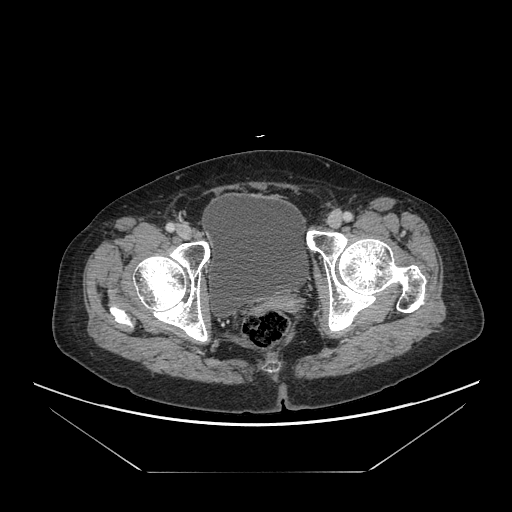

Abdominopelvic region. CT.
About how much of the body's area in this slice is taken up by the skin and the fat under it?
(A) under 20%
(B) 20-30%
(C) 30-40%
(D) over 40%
(C) 30-40%
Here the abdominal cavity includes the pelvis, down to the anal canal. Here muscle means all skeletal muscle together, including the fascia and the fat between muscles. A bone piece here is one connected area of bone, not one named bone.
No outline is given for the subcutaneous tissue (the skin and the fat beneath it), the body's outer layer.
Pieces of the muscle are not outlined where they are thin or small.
The abdominal cavity is outlined by 232 192; 308 194; 316 197; 319 203; 318 210; 309 223; 304 237; 314 281; 313 306; 309 311; 297 312; 293 317; 289 333; 270 348; 258 348; 229 328; 217 329; 211 320; 207 274; 212 255; 211 245; 191 209; 193 202; 202 197. The bones appear in 4 outlined pieces: piece 1: 309 228; 341 232; 350 243; 363 238; 386 243; 398 265; 415 264; 426 277; 424 303; 408 313; 398 311; 395 303; 400 286; 391 285; 376 293; 373 303; 360 310; 349 326; 330 331; 329 291; 323 258; 318 252; 309 249; 306 243; piece 2: 203 239; 210 245; 209 259; 202 268; 202 279; 200 282; 200 308; 202 318; 210 338; 208 342; 196 340; 187 335; 177 326; 166 323; 155 317; 152 311; 137 297; 133 285; 134 269; 143 259; 156 254; 166 256; 178 245; 184 242; piece 3: 110 306; 116 306; 117 307; 122 308; 131 317; 131 318; 133 319; 133 322; 134 323; 134 326; 133 328; 131 328; 123 324; 121 325; 117 322; 116 322; 114 319; 114 317; 110 313; 109 311; 109 309; 108 308; piece 4: 272 360; 276 360; 279 363; 279 370; 278 371; 275 371; 274 372; 267 372; 265 370; 264 370; 263 369; 262 369; 262 367; 263 367; 264 366; 264 365; 268 361; 271 361. The muscle is outlined by 264 180; 303 185; 326 195; 340 204; 350 207; 360 206; 375 198; 387 196; 402 201; 421 216; 429 227; 431 236; 440 252; 444 267; 441 295; 446 307; 446 318; 437 328; 410 350; 387 361; 349 374; 304 379; 297 378; 295 376; 295 363; 303 356; 317 353; 321 348; 321 338; 318 329; 312 322; 305 321; 298 327; 293 338; 282 352; 283 369; 279 381; 275 382; 271 380; 266 373; 261 372; 258 373; 249 383; 232 385; 194 381; 155 372; 136 362; 99 347; 93 341; 87 334; 86 330; 88 316; 83 301; 82 274; 88 256; 109 235; 118 218; 123 216; 133 216; 162 223; 173 216; 189 199; 204 190; 225 184, around holes outlined by 232 192; 316 197; 308 229; 386 243; 398 265; 426 277; 424 303; 398 311; 391 285; 330 331; 323 258; 306 243; 313 306; 278 344; 258 348; 213 326; 211 250; 200 282; 210 340; 158 319; 136 295; 135 267; 207 241; 193 202 and by 224 342; 226 342; 227 343; 233 343; 239 348; 243 350; 254 352; 260 355; 260 359; 258 361; 252 361; 247 358; 243 358; 242 357; 236 357; 235 356; 228 356; 227 357; 225 357; 224 356; 221 356; 218 353; 218 351; 221 345 and by 110 306; 116 306; 117 307; 122 308; 131 317; 131 318; 133 319; 133 322; 134 323; 134 326; 133 328; 131 328; 123 324; 121 325; 117 322; 116 322; 114 319; 114 317; 110 313; 109 311; 109 309; 108 308 and by 272 360; 276 360; 279 363; 279 370; 278 371; 275 371; 274 372; 267 372; 265 370; 264 370; 263 369; 262 369; 262 367; 263 367; 264 366; 264 365; 268 361; 271 361. The torso is outlined by 254 149; 292 149; 321 155; 436 207; 462 244; 484 311; 480 335; 419 374; 373 395; 312 410; 290 411; 283 405; 280 412; 268 414; 208 412; 150 401; 107 383; 64 355; 54 342; 51 318; 58 268; 70 241; 121 195; 195 162.